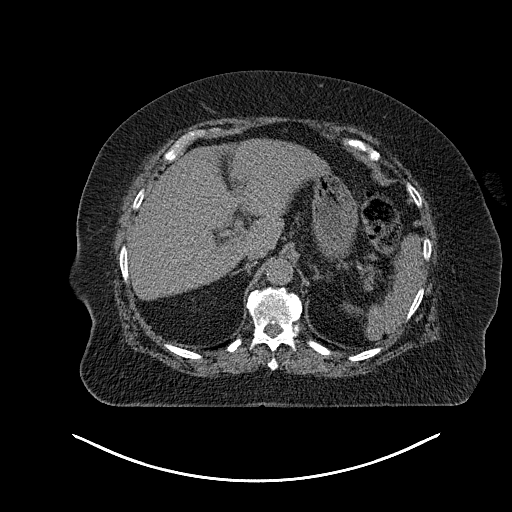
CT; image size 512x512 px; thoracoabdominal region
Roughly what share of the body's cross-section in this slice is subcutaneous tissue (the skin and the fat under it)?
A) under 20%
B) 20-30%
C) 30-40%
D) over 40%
Answer: D) over 40%
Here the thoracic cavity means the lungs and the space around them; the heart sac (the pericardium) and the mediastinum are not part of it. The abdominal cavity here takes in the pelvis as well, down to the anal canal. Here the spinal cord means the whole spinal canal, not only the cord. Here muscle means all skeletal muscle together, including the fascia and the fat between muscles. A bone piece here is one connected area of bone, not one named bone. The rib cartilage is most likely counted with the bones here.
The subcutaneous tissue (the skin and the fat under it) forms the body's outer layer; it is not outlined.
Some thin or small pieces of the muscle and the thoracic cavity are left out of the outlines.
{"thoracic_cavity":[[[314,338],[317,338],[318,339],[321,339],[322,340],[325,341],[330,346],[334,346],[336,348],[337,348],[337,349],[336,349],[335,348],[333,348],[332,347],[328,347],[327,346],[326,346],[325,345],[322,344],[320,342],[317,341]]],"abdominal_cavity":[[[277,122],[306,124],[405,185],[423,230],[421,279],[405,318],[376,346],[338,349],[306,328],[302,277],[278,257],[254,285],[262,288],[248,293],[249,316],[237,337],[201,351],[171,343],[144,319],[130,288],[127,246],[145,194],[196,140]]],"spinal_cord":[[[268,324],[277,324],[281,328],[281,331],[278,334],[277,334],[274,337],[271,337],[269,335],[268,335],[265,332],[265,327]]],"torso":[[[249,69],[314,73],[380,90],[433,123],[470,166],[499,235],[502,267],[497,308],[485,331],[485,367],[463,403],[312,408],[116,406],[99,401],[84,386],[79,364],[91,320],[67,279],[76,250],[80,197],[100,148],[124,120],[160,95],[203,77]],[[483,167],[488,167],[489,168],[492,168],[495,170],[497,174],[498,179],[500,182],[500,185],[501,186],[501,189],[503,194],[503,198],[505,203],[505,206],[504,207],[499,204],[492,197],[483,185],[483,183],[481,179],[481,175],[480,174],[480,169]]],"bones":[{"outer":[[266,287],[286,289],[288,292],[294,294],[302,303],[302,312],[298,321],[301,330],[295,338],[295,351],[293,351],[288,345],[281,344],[274,352],[272,352],[265,343],[259,343],[252,349],[249,349],[252,338],[253,322],[246,307],[248,295],[252,290]],"hole":[[268,324],[277,324],[281,328],[281,331],[278,334],[277,334],[274,337],[271,337],[269,335],[268,335],[265,332],[265,327]]},[[212,127],[220,127],[222,128],[222,130],[219,132],[216,133],[209,133],[205,137],[196,139],[191,143],[186,145],[175,159],[172,161],[169,162],[163,159],[163,155],[165,152],[169,149],[174,142],[181,135],[192,130],[195,130],[200,128],[208,129]],[[344,138],[357,138],[362,140],[377,150],[380,153],[380,157],[379,159],[378,160],[374,160],[373,161],[372,160],[370,160],[368,159],[365,155],[363,155],[364,154],[362,153],[361,151],[359,151],[353,147],[344,145],[342,143],[342,140]],[[165,342],[168,342],[171,344],[173,344],[181,348],[184,348],[191,351],[197,352],[199,353],[202,356],[202,357],[200,359],[192,359],[191,358],[186,358],[185,357],[183,357],[178,354],[176,354],[170,351],[167,348],[166,348],[163,345],[163,344]],[[123,244],[125,244],[126,245],[126,247],[127,248],[127,270],[128,271],[128,279],[129,280],[129,283],[128,284],[125,283],[125,282],[122,277],[122,275],[121,274],[121,271],[120,270],[120,267],[119,266],[119,252],[120,251],[121,246]],[[377,346],[380,346],[382,348],[382,349],[377,354],[371,357],[366,358],[363,360],[359,360],[358,361],[351,361],[348,359],[348,356],[349,355],[356,354],[364,350],[367,350],[368,349],[370,349],[371,348],[373,348]],[[420,287],[423,287],[424,289],[424,292],[423,293],[423,297],[421,300],[421,302],[419,306],[414,312],[414,313],[411,316],[411,317],[407,321],[405,321],[405,319],[408,313],[408,311],[410,308],[410,306],[416,295],[416,293],[418,291],[418,289]],[[308,339],[312,339],[313,340],[314,340],[315,341],[320,343],[322,345],[323,345],[324,346],[329,348],[332,351],[333,351],[333,353],[330,355],[324,355],[323,354],[321,354],[320,353],[317,352],[311,347],[310,347],[306,343],[306,341]],[[407,181],[411,183],[411,184],[418,191],[418,192],[420,194],[422,198],[422,205],[420,208],[418,208],[417,207],[417,206],[413,201],[413,199],[412,197],[410,195],[410,194],[408,192],[406,188],[406,185],[405,183]],[[425,236],[427,236],[429,238],[429,239],[430,240],[430,241],[431,242],[431,243],[432,244],[432,246],[431,247],[431,254],[430,255],[430,258],[429,259],[429,260],[428,261],[426,261],[424,259],[424,257],[423,256],[423,239],[424,238],[424,237]],[[141,188],[144,188],[144,189],[145,190],[145,191],[144,192],[144,196],[143,197],[143,199],[142,200],[142,201],[141,202],[138,209],[137,210],[134,210],[132,208],[132,203],[134,200],[134,198],[135,197],[135,196],[137,194],[137,193]],[[238,337],[240,337],[242,339],[242,343],[234,351],[233,351],[232,352],[229,352],[228,351],[227,351],[226,350],[226,349],[225,348],[226,347],[226,346],[227,345],[228,345],[232,341],[233,341],[236,338],[237,338]],[[272,356],[274,356],[274,357],[276,359],[276,361],[277,362],[277,363],[278,364],[278,365],[277,366],[277,368],[275,370],[271,370],[268,367],[268,366],[267,365],[267,364],[268,363],[268,362],[271,359],[271,358],[272,357]]],"mediastinum":[[[278,258],[279,259],[288,261],[292,264],[296,270],[298,271],[302,280],[302,301],[294,293],[291,291],[288,291],[286,288],[283,287],[279,287],[278,286],[276,287],[273,286],[254,287],[259,279],[262,276],[265,270],[265,268],[268,264],[272,260]],[[380,163],[385,163],[386,164],[387,164],[390,167],[391,167],[393,169],[394,169],[395,170],[395,171],[397,173],[397,179],[396,178],[386,178],[383,175],[382,175],[381,174],[381,164]]],"muscle":[{"outer":[[238,116],[243,117],[279,116],[292,118],[293,117],[308,118],[332,121],[343,125],[352,125],[377,138],[381,142],[381,145],[393,155],[395,155],[401,163],[410,171],[424,191],[424,195],[429,203],[431,213],[434,218],[433,222],[436,227],[436,232],[438,235],[437,239],[438,264],[435,275],[440,285],[440,293],[437,306],[438,317],[440,322],[441,337],[440,339],[428,342],[419,347],[410,348],[378,366],[375,370],[356,376],[318,377],[313,374],[304,375],[291,373],[289,374],[283,371],[276,370],[279,364],[275,356],[272,355],[266,364],[267,367],[272,371],[270,372],[259,370],[255,372],[245,372],[239,374],[226,373],[224,375],[213,378],[195,376],[173,369],[148,354],[135,351],[124,341],[118,310],[115,303],[112,284],[112,280],[114,278],[113,274],[114,266],[112,265],[112,262],[114,260],[112,254],[113,249],[112,243],[118,226],[117,220],[121,213],[120,207],[122,204],[123,196],[127,193],[134,178],[142,170],[141,167],[144,162],[148,159],[151,154],[154,153],[176,132],[202,121]],"hole":[[277,122],[306,124],[338,142],[344,138],[362,140],[380,153],[379,163],[394,169],[402,183],[410,182],[422,198],[417,209],[419,222],[423,236],[432,244],[419,281],[423,297],[411,317],[381,341],[378,345],[382,349],[371,357],[351,361],[351,352],[332,347],[330,355],[317,352],[306,343],[315,339],[301,318],[295,351],[281,344],[272,352],[265,343],[250,350],[253,322],[249,316],[237,336],[242,343],[234,351],[206,349],[197,352],[200,359],[186,358],[163,345],[168,341],[144,319],[130,284],[122,277],[119,252],[123,244],[128,245],[138,211],[132,203],[141,188],[145,194],[150,189],[169,163],[163,155],[174,142],[200,128],[222,128],[204,137],[211,139]]}]}